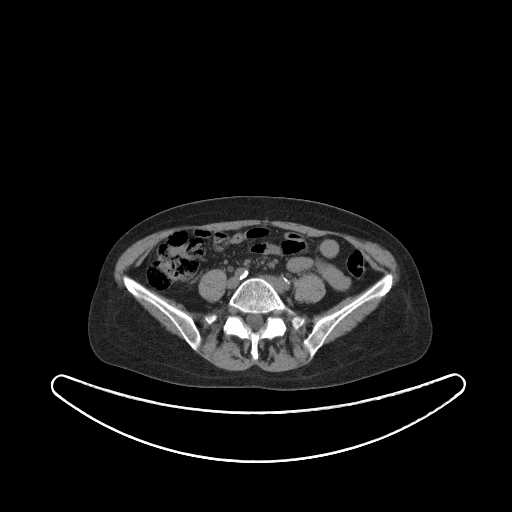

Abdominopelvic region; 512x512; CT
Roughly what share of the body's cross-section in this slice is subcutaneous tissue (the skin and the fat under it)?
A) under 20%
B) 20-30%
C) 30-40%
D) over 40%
Answer: D) over 40%
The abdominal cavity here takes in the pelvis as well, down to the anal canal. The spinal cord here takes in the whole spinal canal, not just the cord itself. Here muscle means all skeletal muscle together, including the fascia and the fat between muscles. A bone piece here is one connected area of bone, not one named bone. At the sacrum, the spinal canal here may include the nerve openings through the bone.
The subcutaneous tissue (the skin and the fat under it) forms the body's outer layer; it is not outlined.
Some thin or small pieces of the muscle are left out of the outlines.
Outlines (x, y in pixels):
torso: (238, 195) (284, 196) (327, 203) (359, 214) (394, 235) (412, 256) (428, 300) (433, 334) (427, 352) (413, 363) (370, 377) (342, 385) (305, 390) (182, 386) (150, 378) (104, 363) (98, 359) (88, 341) (88, 310) (102, 263) (117, 239) (138, 222) (167, 208) (197, 200)
abdominal cavity: (258, 224) (293, 230) (309, 237) (337, 236) (358, 249) (378, 278) (363, 291) (327, 309) (312, 315) (298, 313) (284, 302) (269, 281) (251, 276) (237, 286) (227, 305) (207, 311) (190, 310) (181, 302) (152, 291) (134, 277) (134, 269) (154, 246) (176, 231) (234, 230), around a hole outlined by (212, 269) (220, 269) (221, 270) (223, 270) (225, 273) (226, 279) (227, 280) (227, 287) (225, 289) (225, 292) (219, 301) (216, 301) (215, 302) (211, 302) (206, 300) (200, 295) (198, 291) (198, 284) (199, 283) (200, 278) (203, 274) (204, 274) (207, 271)
muscle 1: (154, 292) (181, 303) (190, 311) (230, 308) (231, 313) (227, 315) (222, 330) (226, 335) (249, 340) (249, 352) (254, 361) (259, 358) (260, 340) (271, 340) (285, 334) (287, 325) (282, 314) (292, 315) (290, 325) (298, 330) (306, 323) (306, 318) (295, 312) (312, 316) (361, 293) (339, 309) (315, 319) (302, 340) (309, 358) (313, 358) (309, 363) (272, 372) (256, 365) (243, 370) (227, 370) (201, 357) (195, 352) (202, 343) (202, 336) (193, 317); inner edge: (212, 313) (214, 313) (215, 314) (216, 314) (216, 315) (217, 316) (217, 318) (216, 319) (216, 320) (214, 322) (213, 322) (211, 324) (209, 324) (208, 323) (207, 323) (205, 321) (205, 320) (204, 319) (204, 316) (206, 314) (211, 314)
muscle 2: (242, 219) (268, 219) (290, 221) (317, 229) (345, 233) (363, 240) (375, 242) (387, 249) (396, 260) (400, 271) (399, 281) (397, 285) (390, 291) (394, 281) (393, 275) (390, 272) (387, 272) (379, 278) (380, 275) (369, 265) (359, 249) (344, 238) (337, 235) (326, 234) (320, 236) (309, 236) (305, 233) (293, 229) (282, 228) (267, 223) (245, 225) (234, 229) (222, 230) (213, 230) (203, 227) (179, 229) (162, 238) (153, 246) (142, 261) (133, 269) (133, 277) (124, 274) (121, 279) (124, 287) (135, 298) (141, 299) (151, 304) (164, 314) (179, 332) (182, 339) (166, 330) (133, 297) (118, 286) (114, 279) (114, 268) (116, 261) (119, 256) (130, 245) (137, 240) (154, 232) (183, 225) (202, 225) (214, 222) (233, 221)
muscle 3: (387, 294) (385, 298) (378, 305) (378, 306) (371, 313) (366, 316) (363, 320) (359, 322) (354, 328) (353, 328) (349, 332) (338, 337) (333, 341) (324, 345) (315, 356) (318, 350) (324, 344) (327, 337) (331, 333) (334, 328) (345, 317) (363, 304) (371, 300) (381, 298)
muscle 4: (212, 269) (220, 269) (221, 270) (223, 270) (225, 273) (226, 279) (227, 280) (227, 287) (225, 289) (225, 292) (219, 301) (216, 301) (215, 302) (211, 302) (206, 300) (200, 295) (198, 291) (198, 284) (199, 283) (200, 278) (203, 274) (204, 274) (207, 271)
muscle 5: (303, 274) (313, 274) (319, 277) (322, 280) (325, 286) (325, 293) (323, 297) (322, 297) (321, 299) (320, 299) (318, 301) (314, 302) (313, 303) (306, 303) (305, 302) (298, 302) (295, 300) (294, 298) (294, 295) (293, 294) (294, 287) (297, 281) (297, 279)
spinal cord: (248, 314) (259, 314) (260, 315) (262, 315) (263, 316) (263, 318) (264, 319) (264, 325) (262, 327) (261, 327) (259, 329) (258, 329) (257, 330) (253, 330) (246, 323) (246, 321) (245, 320) (246, 319) (246, 316)
bones 1: (251, 277) (261, 277) (269, 282) (283, 302) (296, 315) (305, 318) (305, 323) (294, 329) (290, 322) (293, 315) (282, 313) (286, 325) (284, 334) (260, 339) (256, 360) (252, 358) (249, 339) (226, 334) (223, 330) (228, 315) (232, 313) (228, 306) (229, 299) (238, 286), around a hole outlined by (248, 314) (259, 314) (260, 315) (262, 315) (263, 316) (263, 318) (264, 319) (264, 325) (262, 327) (261, 327) (259, 329) (258, 329) (257, 330) (253, 330) (246, 323) (246, 321) (245, 320) (246, 319) (246, 316)
bones 2: (387, 273) (390, 273) (393, 277) (392, 286) (390, 290) (381, 297) (374, 298) (363, 303) (345, 316) (326, 337) (323, 344) (317, 350) (314, 356) (310, 358) (309, 353) (303, 344) (303, 340) (311, 331) (316, 319) (339, 310) (358, 297) (378, 279) (386, 275)
bones 3: (124, 275) (127, 275) (133, 278) (146, 288) (159, 296) (170, 305) (187, 313) (192, 317) (201, 336) (201, 343) (196, 351) (193, 350) (190, 347) (182, 337) (180, 332) (174, 324) (164, 313) (151, 303) (141, 298) (135, 297) (128, 291) (123, 283) (122, 277)
bones 4: (212, 313) (214, 313) (215, 314) (216, 314) (216, 315) (217, 316) (217, 318) (216, 319) (216, 320) (214, 322) (213, 322) (211, 324) (209, 324) (208, 323) (207, 323) (205, 321) (205, 320) (204, 319) (204, 316) (206, 314) (211, 314)